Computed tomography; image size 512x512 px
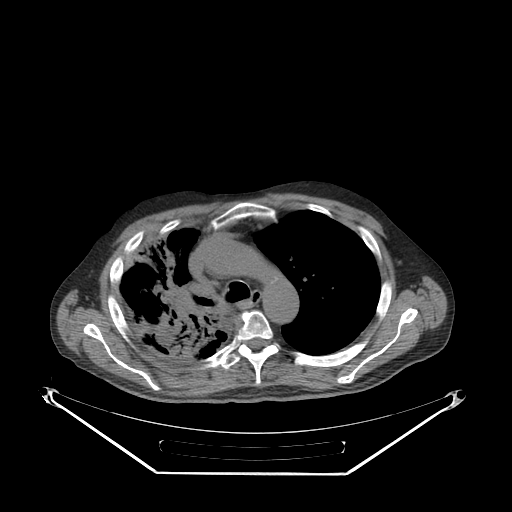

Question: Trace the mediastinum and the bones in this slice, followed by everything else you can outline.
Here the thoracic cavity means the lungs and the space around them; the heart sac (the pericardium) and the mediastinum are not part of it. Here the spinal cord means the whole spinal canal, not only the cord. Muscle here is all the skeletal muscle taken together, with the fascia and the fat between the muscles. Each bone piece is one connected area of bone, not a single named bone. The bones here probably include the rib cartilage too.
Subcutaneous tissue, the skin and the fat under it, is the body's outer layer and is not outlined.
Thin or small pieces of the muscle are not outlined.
Answer: {"mediastinum":[[[246,218],[269,220],[273,223],[257,231],[253,241],[260,251],[279,268],[298,295],[299,307],[296,316],[291,322],[282,325],[279,331],[275,331],[260,309],[243,310],[238,315],[239,320],[223,311],[188,268],[189,254],[200,233],[195,227],[218,230]]],"bones":[{"outer":[[254,309],[260,310],[264,314],[282,346],[281,350],[270,355],[263,362],[259,373],[260,383],[258,385],[255,384],[254,368],[243,356],[228,369],[225,369],[220,365],[198,369],[199,360],[211,356],[232,340],[240,325],[239,315],[245,310],[249,311]],"hole":[[253,338],[261,338],[262,339],[263,339],[264,340],[265,340],[265,345],[263,347],[262,347],[259,350],[253,350],[251,348],[250,348],[248,346],[248,344],[247,343],[248,342],[248,341],[249,341],[251,339],[252,339]]},[[243,201],[248,201],[261,204],[274,209],[277,212],[277,217],[278,218],[277,222],[273,222],[269,219],[256,218],[250,216],[238,219],[233,223],[230,223],[225,226],[220,227],[218,229],[214,229],[209,226],[209,222],[213,218],[220,215],[235,204]],[[365,338],[368,338],[369,339],[368,343],[359,353],[344,363],[336,366],[297,365],[294,363],[293,361],[293,356],[290,353],[290,351],[295,350],[313,356],[327,355],[342,350],[355,343],[360,342]],[[139,230],[144,231],[142,240],[137,249],[132,254],[131,257],[128,259],[126,258],[124,259],[125,269],[120,280],[120,283],[118,287],[119,291],[118,291],[111,285],[109,275],[110,267],[116,257],[121,256],[124,254],[124,247],[127,241]],[[410,307],[415,308],[418,312],[412,321],[406,322],[400,327],[400,333],[396,340],[382,353],[365,363],[356,372],[354,375],[354,379],[350,383],[338,383],[336,379],[339,376],[348,374],[361,361],[381,349],[394,337],[397,331],[397,326],[401,314]],[[88,323],[93,323],[98,327],[105,342],[109,347],[110,351],[119,360],[133,368],[145,372],[150,377],[151,380],[155,384],[158,385],[161,389],[160,390],[153,389],[141,375],[118,364],[108,354],[103,344],[98,339],[84,333],[83,328]],[[110,294],[112,294],[115,297],[116,300],[120,306],[122,313],[129,327],[128,336],[134,345],[134,348],[132,347],[131,345],[124,339],[122,335],[118,331],[117,328],[115,326],[112,320],[112,318],[110,315],[108,304],[107,303],[107,298]],[[383,282],[388,282],[390,284],[390,286],[391,287],[391,298],[390,299],[390,303],[388,306],[388,308],[385,315],[383,317],[383,318],[379,322],[378,322],[378,317],[375,315],[375,312],[376,311],[377,304],[378,303],[379,297],[380,296],[381,285]],[[358,226],[362,226],[366,229],[367,229],[372,234],[372,235],[374,237],[375,240],[377,242],[377,244],[379,247],[379,250],[381,254],[381,260],[380,261],[377,260],[377,259],[375,257],[373,253],[366,245],[364,241],[359,235],[359,231],[357,228]],[[177,218],[180,219],[180,220],[181,221],[181,222],[178,225],[178,226],[175,229],[173,229],[169,232],[166,233],[161,237],[159,237],[159,230],[161,228],[161,227],[165,223],[166,223],[168,221],[169,221],[170,220],[172,220],[173,219],[176,219]],[[306,203],[314,203],[315,204],[317,204],[318,205],[321,205],[325,207],[333,215],[333,218],[331,218],[327,215],[323,213],[321,213],[320,212],[317,212],[316,211],[314,211],[313,210],[310,210],[309,209],[305,209],[303,207],[303,205]]],"thoracic_cavity":[[[299,210],[323,214],[357,234],[374,256],[380,277],[379,296],[370,321],[348,346],[327,354],[308,354],[293,349],[278,339],[276,332],[279,332],[282,326],[291,323],[298,314],[299,295],[280,268],[261,251],[254,241],[257,232],[277,223],[285,214]],[[182,227],[194,227],[199,231],[188,254],[188,271],[212,297],[217,306],[223,312],[235,317],[239,325],[231,340],[211,355],[184,363],[172,363],[156,357],[133,337],[117,291],[120,291],[126,259],[132,257],[145,237],[158,233],[158,237],[161,238]]],"torso":[[[295,180],[331,182],[370,199],[439,264],[452,286],[455,314],[449,340],[438,353],[408,366],[375,387],[356,393],[291,401],[167,403],[123,391],[78,368],[57,351],[49,329],[49,308],[53,295],[96,239],[125,210],[145,198],[167,192],[237,193]]],"muscle":[{"outer":[[269,193],[297,193],[335,200],[364,211],[377,220],[381,225],[383,225],[386,235],[387,250],[391,257],[395,272],[396,291],[398,293],[400,292],[422,276],[427,275],[442,288],[447,299],[447,310],[443,321],[437,327],[426,330],[420,336],[415,346],[405,353],[376,367],[352,382],[355,379],[355,375],[357,372],[365,364],[382,354],[397,340],[401,333],[401,327],[404,324],[410,323],[415,319],[419,312],[415,307],[410,306],[400,314],[396,326],[396,331],[393,337],[388,342],[378,350],[366,356],[348,373],[339,375],[335,379],[338,384],[344,384],[342,386],[319,391],[308,390],[300,386],[290,385],[272,385],[265,387],[246,386],[227,389],[203,396],[180,397],[153,392],[139,384],[106,371],[91,362],[80,358],[64,344],[59,335],[56,324],[57,309],[61,301],[70,290],[77,289],[79,298],[83,302],[89,304],[97,302],[99,295],[98,279],[101,271],[112,253],[114,241],[129,224],[147,215],[181,206],[191,204],[207,204],[217,201],[228,202],[234,200],[248,200],[261,197]],"holes":[[[243,201],[270,207],[279,219],[287,213],[304,210],[306,203],[314,203],[325,207],[334,220],[356,234],[359,234],[358,226],[372,234],[381,254],[381,260],[376,261],[380,282],[390,284],[391,298],[383,318],[378,322],[374,315],[350,344],[369,339],[351,359],[336,366],[297,365],[290,353],[293,349],[281,341],[282,349],[263,362],[259,373],[261,381],[256,385],[254,368],[243,356],[228,369],[220,365],[198,369],[197,360],[172,363],[156,357],[130,330],[128,336],[134,348],[118,331],[107,303],[110,294],[119,301],[109,273],[116,257],[124,254],[127,241],[139,230],[144,231],[144,238],[158,233],[165,223],[177,218],[181,221],[178,228],[209,228],[213,218]],[[88,323],[93,323],[98,327],[105,342],[109,347],[110,351],[119,360],[133,368],[145,372],[150,377],[151,380],[155,384],[158,385],[161,389],[160,390],[153,389],[141,375],[118,364],[108,354],[103,344],[98,339],[84,333],[83,328]]]}],"spinal_cord":[[[253,338],[261,338],[262,339],[263,339],[264,340],[265,340],[265,345],[263,347],[262,347],[259,350],[253,350],[251,348],[250,348],[248,346],[248,344],[247,343],[248,342],[248,341],[249,341],[251,339],[252,339]]]}